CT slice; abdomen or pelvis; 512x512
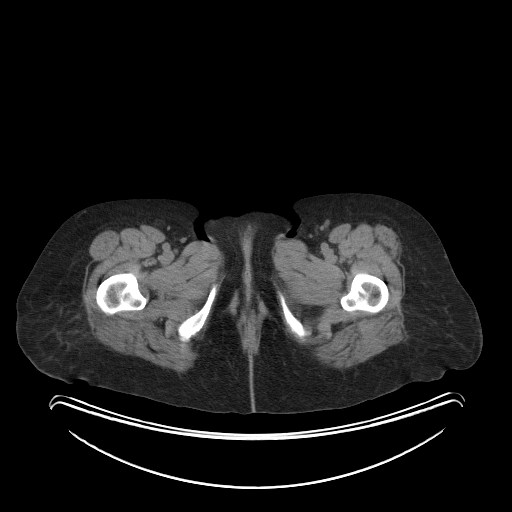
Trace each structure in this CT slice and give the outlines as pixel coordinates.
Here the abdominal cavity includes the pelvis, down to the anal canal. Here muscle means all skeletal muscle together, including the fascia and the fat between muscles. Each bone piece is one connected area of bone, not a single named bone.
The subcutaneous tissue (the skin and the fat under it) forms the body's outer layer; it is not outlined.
The abdominal cavity is outlined by 249,320 250,321 251,321 255,325 255,326 256,327 256,339 255,340 255,343 254,344 252,344 251,345 249,345 248,346 247,345 247,344 246,343 246,341 244,338 244,334 243,333 244,332 244,325. The torso is outlined by 336,192 398,199 432,225 481,323 482,350 467,369 341,409 215,413 50,377 17,343 23,282 56,229 89,205 186,201 201,210 194,229 203,240 207,219 262,210 288,218 291,237 300,221 292,203. The bones appear in 4 outlined pieces: piece 1: 128,272 132,273 136,277 138,282 138,287 141,293 147,298 146,304 144,307 140,310 121,311 112,315 108,315 104,313 97,305 95,299 96,290 99,284 104,279 111,275 117,274 118,273 127,273; piece 2: 360,272 364,272 365,273 368,273 377,276 379,278 382,279 385,282 387,286 388,292 389,293 387,303 380,311 376,313 370,313 362,310 347,311 341,306 340,298 348,292 350,289 351,282 354,276 357,273; piece 3: 213,284 217,284 218,285 216,295 211,305 208,315 206,317 206,319 202,327 200,330 192,336 189,340 187,341 182,341 180,340 177,331 177,328 179,324 186,318 194,314 203,305 209,294 210,289 212,287; piece 4: 278,291 281,292 283,294 287,306 294,316 301,322 304,328 309,332 309,334 304,336 302,338 300,338 290,331 290,329 285,321 285,319 283,315 283,312 282,311 282,308 280,305 280,302 277,296 277,292. The muscle appears in 3 outlined pieces: piece 1: 364,218 385,221 400,238 401,261 405,267 405,293 401,304 409,337 405,342 393,345 364,362 339,370 319,364 304,347 286,335 272,280 274,267 271,250 275,242 284,240 299,239 308,244 326,235 340,223, around holes outlined by 360,272 364,272 365,273 368,273 377,276 379,278 382,279 385,282 387,286 388,292 389,293 387,303 380,311 376,313 370,313 362,310 347,311 341,306 340,298 348,292 350,289 351,282 354,276 357,273 and by 278,291 281,292 283,294 287,306 294,316 301,322 304,328 309,332 309,334 304,336 302,338 300,338 290,331 290,329 285,321 285,319 283,315 283,312 282,311 282,308 280,305 280,302 277,296 277,292; piece 2: 129,223 151,225 168,237 184,244 199,241 215,245 223,252 225,276 201,339 199,355 194,366 184,373 179,374 140,357 111,350 93,338 90,333 82,304 82,283 85,268 90,259 89,246 94,237 108,227; inner edges: 128,272 132,273 136,277 138,282 138,287 141,293 147,298 146,304 144,307 140,310 121,311 112,315 108,315 104,313 97,305 95,299 96,290 99,284 104,279 111,275 117,274 118,273 127,273, then 213,284 217,284 218,285 216,295 211,305 208,315 206,317 206,319 202,327 200,330 192,336 189,340 187,341 182,341 180,340 177,331 177,328 179,324 186,318 194,314 203,305 209,294 210,289 212,287; piece 3: 249,314 252,314 256,316 262,321 261,323 261,327 260,328 260,338 259,339 258,353 257,354 254,354 251,358 250,358 242,349 242,344 240,339 240,335 237,328 237,322 241,316 243,315 245,316, around a hole outlined by 249,320 250,321 251,321 255,325 255,326 256,327 256,339 255,340 255,343 254,344 252,344 251,345 249,345 248,346 247,345 247,344 246,343 246,341 244,338 244,334 243,333 244,332 244,325.